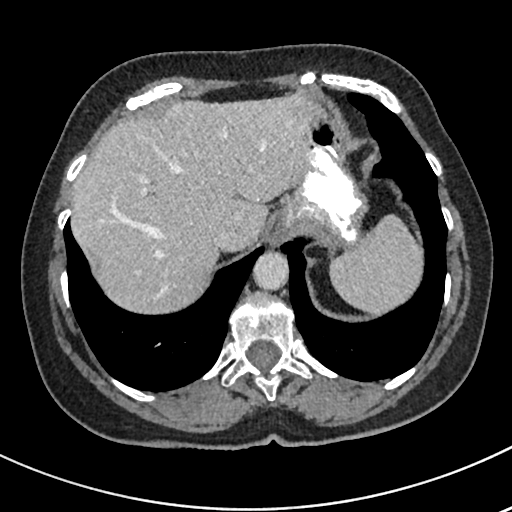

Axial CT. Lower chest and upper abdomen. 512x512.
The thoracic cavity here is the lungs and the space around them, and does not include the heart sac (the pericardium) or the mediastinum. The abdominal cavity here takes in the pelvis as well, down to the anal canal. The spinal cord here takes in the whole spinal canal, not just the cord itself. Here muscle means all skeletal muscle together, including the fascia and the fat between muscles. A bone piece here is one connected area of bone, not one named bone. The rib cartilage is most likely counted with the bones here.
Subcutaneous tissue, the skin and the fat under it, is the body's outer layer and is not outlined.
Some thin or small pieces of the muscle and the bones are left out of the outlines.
The torso is outlined by 311,42 366,47 406,67 428,92 470,173 493,243 489,307 470,372 427,414 381,433 324,445 284,447 273,440 237,450 171,449 128,445 91,432 58,406 42,381 20,287 28,216 70,112 98,77 140,55. The bones appear in 8 outlined pieces: piece 1: 257,291 276,296 291,306 297,333 303,339 309,353 339,377 332,378 313,371 312,378 307,379 283,370 273,403 268,401 250,373 239,376 229,386 221,384 220,374 198,380 219,356 229,330 229,317 236,303, around a hole outlined by 258,340 265,340 266,341 271,341 279,348 281,352 278,360 271,367 271,368 269,369 268,373 267,374 268,375 267,376 266,375 264,375 262,373 262,372 248,359 246,355 246,352 251,344 253,342 257,341; piece 2: 322,73 342,74 343,75 355,76 360,78 368,78 371,79 388,88 399,100 402,106 402,110 399,114 396,114 371,95 357,92 356,91 352,91 344,87 336,87 329,84 326,84 320,79 320,75; piece 3: 167,82 178,82 180,83 182,85 182,88 179,91 161,97 145,105 140,106 134,110 131,109 128,110 124,106 125,102 130,97 141,94 147,90 154,87 156,85 159,85 162,83 166,83; piece 4: 110,376 112,376 124,384 128,386 130,386 135,389 143,391 148,394 153,394 155,396 155,399 153,401 151,401 150,402 144,402 143,401 139,401 134,399 132,397 121,391 116,386 115,386 110,380 109,378; piece 5: 416,364 418,364 417,365 417,368 415,372 402,384 401,384 396,388 394,388 393,389 390,389 389,390 387,390 383,387 383,385 387,381 401,374 403,372 406,371 408,369 409,369 411,367 412,367; piece 6: 83,153 85,153 87,155 87,158 84,162 81,169 79,171 79,172 77,174 75,178 72,181 69,181 67,180 66,178 66,175 67,174 67,171 69,168 69,166 70,164 75,158 76,158 78,156 79,156; piece 7: 64,268 66,269 66,271 67,272 67,285 68,286 68,294 69,295 69,300 70,301 70,304 71,305 71,307 70,308 68,308 66,306 66,304 63,298 63,294 62,293 61,285 60,284 60,274 62,270; piece 8: 425,151 429,151 430,152 433,153 437,157 437,158 439,160 439,162 441,165 441,175 439,177 436,176 436,175 432,170 432,169 431,168 431,167 430,166 430,165 429,164 429,163 424,154 424,152. The thoracic cavity appears in 2 outlined pieces: piece 1: 350,92 377,100 415,140 436,177 447,231 433,334 417,362 389,379 346,377 310,353 295,324 282,249 298,238 305,242 303,277 311,304 348,324 385,316 422,283 420,225 396,180 376,174 380,142 348,100; piece 2: 68,220 73,238 103,294 123,310 146,316 168,315 185,310 206,293 220,269 262,247 263,251 254,261 229,314 228,330 218,356 200,377 175,389 152,392 128,385 105,369 88,344 70,300 64,239. The muscle appears in 2 outlined pieces: piece 1: 306,68 348,74 319,75 324,84 346,90 313,83 318,77 313,70 302,73 299,84 248,81 187,91 180,91 183,85 178,81 156,84 130,96 123,104 126,112 107,128 91,153 88,156 83,152 69,164 65,175 67,181 73,181 69,206 56,218 66,253 66,268 59,274 59,284 65,306 72,309 87,344 110,375 109,380 124,394 144,403 156,399 153,393 146,392 175,390 219,375 220,384 229,387 239,377 250,374 273,404 283,371 307,380 313,378 313,372 363,382 388,379 382,387 387,391 396,389 416,372 441,308 450,300 452,276 446,268 446,241 454,220 438,196 437,177 442,175 442,165 450,198 463,224 471,269 463,322 438,364 417,385 395,405 352,424 318,426 286,409 258,412 228,429 211,433 184,432 143,419 112,401 83,376 60,347 54,332 47,274 53,209 64,169 111,110 149,81 174,75 253,80; piece 2: 401,102 406,108 407,112 409,114 412,120 415,123 418,131 420,133 422,137 432,148 435,154 433,152 429,150 425,150 424,151 422,150 416,140 412,136 408,129 398,116 398,115 399,115 403,110 403,106. The mediastinum appears in 2 outlined pieces: piece 1: 264,244 281,244 282,246 281,249 287,256 287,261 289,267 288,288 289,289 289,299 291,305 288,304 276,295 268,294 258,290 250,293 243,299 239,300 237,302 255,261 264,251 263,248; piece 2: 325,87 329,89 334,89 340,91 346,91 347,90 351,91 346,96 347,100 364,114 367,120 367,123 369,124 369,127 373,135 375,136 366,138 357,137 352,131 348,120 345,114 342,111 342,109 336,103. The spinal cord is outlined by 258,340 265,340 266,341 271,341 279,348 281,352 278,360 271,367 271,368 269,369 268,373 267,374 268,375 267,376 266,375 264,375 262,373 262,372 248,359 246,355 246,352 251,344 253,342 257,341. The abdominal cavity is outlined by 248,82 323,86 357,138 377,138 375,174 401,188 423,240 423,277 404,304 356,323 323,315 308,294 299,237 264,243 220,268 197,301 174,313 134,313 104,294 69,219 72,185 100,138 127,111 171,94.